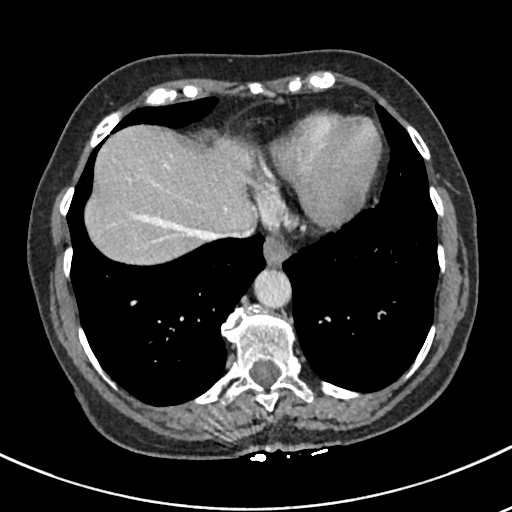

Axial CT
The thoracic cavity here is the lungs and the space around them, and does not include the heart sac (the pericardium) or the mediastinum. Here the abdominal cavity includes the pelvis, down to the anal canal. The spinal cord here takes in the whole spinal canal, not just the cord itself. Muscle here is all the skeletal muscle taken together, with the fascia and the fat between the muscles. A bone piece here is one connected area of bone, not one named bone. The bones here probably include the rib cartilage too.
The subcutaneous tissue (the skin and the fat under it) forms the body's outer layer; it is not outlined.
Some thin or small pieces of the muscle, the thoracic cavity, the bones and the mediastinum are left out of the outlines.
Outlines:
muscle 1: (92, 131) (88, 144) (92, 150) (75, 186) (65, 189) (58, 206) (67, 219) (70, 236) (62, 253) (62, 270) (71, 280) (75, 296) (78, 340) (91, 365) (113, 390) (119, 386) (136, 399) (160, 407) (215, 401) (225, 406) (252, 390) (252, 398) (271, 413) (281, 389) (291, 390) (307, 403) (313, 401) (315, 393) (300, 376) (300, 359) (319, 379) (323, 394) (343, 400) (385, 388) (403, 374) (404, 381) (409, 379) (432, 346) (437, 282) (446, 269) (445, 249) (437, 239) (443, 200) (429, 184) (424, 163) (431, 154) (437, 177) (451, 196) (468, 259) (468, 303) (445, 353) (429, 375) (389, 411) (351, 429) (269, 426) (228, 445) (212, 439) (170, 438) (140, 426) (113, 408) (83, 377) (59, 342) (50, 318) (50, 216)
muscle 2: (183, 78) (210, 78) (217, 80) (228, 80) (240, 82) (254, 81) (248, 82) (245, 86) (250, 95) (238, 95) (237, 94) (236, 95) (219, 95) (216, 94) (197, 98) (200, 88) (194, 84) (188, 83) (182, 86) (180, 89) (180, 92) (185, 97) (190, 99) (173, 102) (179, 95) (179, 92) (175, 88) (166, 88) (159, 86) (156, 87) (145, 97) (142, 106) (136, 107) (124, 116) (124, 112) (121, 109) (116, 109) (132, 100) (151, 86) (166, 81)
muscle 3: (315, 70) (330, 70) (336, 71) (353, 77) (371, 86) (385, 96) (413, 125) (405, 120) (403, 122) (403, 126) (385, 107) (365, 91) (357, 87) (349, 85) (333, 87) (337, 79) (335, 75) (331, 71) (328, 70) (324, 70) (311, 74) (306, 78) (307, 83) (312, 88) (322, 90) (296, 93) (302, 88) (304, 82) (301, 77) (297, 75) (291, 79) (286, 85) (289, 92) (278, 92) (273, 97) (260, 95) (264, 94) (265, 86) (260, 81) (257, 81) (270, 80) (289, 75) (305, 74)
torso: (320, 48) (369, 54) (407, 78) (438, 118) (467, 178) (477, 217) (480, 282) (473, 327) (452, 379) (409, 421) (349, 445) (295, 451) (261, 449) (235, 459) (188, 460) (146, 455) (112, 442) (86, 417) (50, 349) (26, 264) (33, 196) (70, 114) (102, 77) (142, 57)
mediastinum 1: (258, 222) (268, 233) (288, 238) (303, 239) (330, 232) (317, 241) (301, 247) (297, 253) (282, 263) (282, 269) (291, 285) (292, 325) (279, 315) (275, 316) (271, 313) (268, 315) (252, 314) (244, 305) (236, 306) (266, 263) (263, 255) (263, 235) (261, 233) (250, 235)
mediastinum 2: (342, 86) (357, 88) (375, 100) (375, 111) (381, 127) (370, 110) (358, 101) (347, 97) (312, 95) (253, 101) (239, 109) (228, 120) (224, 127) (213, 123) (207, 123) (178, 129) (205, 118) (218, 103) (216, 95) (259, 95) (273, 98) (278, 93) (299, 94)
mediastinum 3: (384, 133) (389, 148) (389, 158) (386, 166) (386, 173) (384, 177) (384, 181) (382, 185) (380, 197) (379, 200) (375, 205) (372, 207) (368, 207) (363, 209) (368, 203) (370, 197) (379, 184) (382, 177) (382, 173) (384, 170) (384, 158) (385, 157) (385, 139) (384, 138)
thoracic cavity 1: (376, 102) (405, 129) (423, 160) (429, 199) (436, 214) (438, 276) (432, 323) (407, 370) (385, 387) (360, 392) (320, 379) (306, 362) (293, 326) (292, 285) (283, 269) (283, 263) (297, 254) (301, 248) (336, 232) (360, 212) (372, 208) (380, 200) (390, 148) (376, 111)
thoracic cavity 2: (105, 138) (93, 163) (83, 223) (91, 243) (110, 260) (134, 266) (155, 266) (215, 240) (255, 234) (263, 237) (264, 266) (220, 325) (228, 352) (227, 369) (209, 388) (182, 403) (152, 405) (118, 385) (102, 367) (81, 324) (71, 279) (74, 252) (67, 215) (86, 162)
thoracic cavity 3: (209, 96) (215, 96) (217, 98) (217, 103) (213, 109) (202, 119) (183, 127) (170, 127) (167, 125) (159, 125) (150, 123) (137, 123) (133, 125) (128, 125) (113, 133) (111, 133) (116, 125) (127, 114) (136, 108) (143, 106) (163, 106) (176, 102) (195, 100)
bones 1: (241, 306) (252, 315) (279, 316) (293, 327) (297, 340) (295, 354) (302, 365) (299, 376) (314, 393) (311, 402) (289, 388) (281, 388) (271, 412) (253, 398) (256, 392) (252, 389) (225, 405) (219, 400) (185, 403) (209, 389) (229, 368) (233, 350) (221, 334) (221, 325), around a hole outlined by (259, 360) (263, 360) (264, 361) (267, 361) (269, 360) (271, 361) (276, 366) (277, 366) (277, 367) (279, 369) (279, 375) (276, 378) (275, 381) (268, 388) (268, 389) (266, 389) (262, 385) (256, 382) (250, 375) (250, 370) (251, 368) (253, 366) (254, 363)
bones 2: (116, 110) (121, 110) (123, 112) (123, 117) (115, 125) (115, 126) (111, 130) (111, 131) (95, 147) (93, 148) (90, 147) (90, 145) (89, 144) (90, 143) (90, 139) (93, 133) (93, 131) (95, 127) (97, 125) (97, 124) (102, 119) (102, 118) (103, 118) (106, 115)
bones 3: (79, 325) (81, 325) (83, 329) (83, 331) (85, 334) (85, 336) (87, 339) (87, 341) (101, 367) (107, 374) (107, 375) (117, 385) (117, 390) (113, 389) (102, 378) (102, 377) (97, 372) (95, 368) (90, 362) (87, 355) (84, 351) (84, 349) (78, 337) (78, 326)
bones 4: (433, 323) (435, 324) (435, 333) (433, 337) (433, 340) (431, 343) (431, 346) (426, 356) (424, 358) (421, 364) (412, 374) (412, 375) (406, 380) (404, 380) (403, 378) (404, 374) (408, 370) (414, 361) (418, 352) (420, 350) (427, 336) (427, 334) (430, 329) (430, 327)
bones 5: (159, 87) (162, 87) (163, 88) (165, 88) (166, 89) (175, 89) (178, 92) (178, 95) (176, 97) (176, 98) (171, 103) (168, 103) (167, 104) (164, 104) (163, 105) (144, 105) (144, 101) (145, 100) (146, 97) (150, 93) (151, 93) (156, 88) (158, 88)
bones 6: (320, 380) (323, 380) (338, 387) (341, 387) (342, 388) (345, 388) (346, 389) (349, 389) (350, 390) (353, 390) (359, 392) (361, 394) (360, 396) (353, 397) (348, 399) (338, 398) (337, 397) (334, 397) (331, 395) (325, 394) (322, 392) (320, 388) (320, 383) (319, 382)
bones 7: (405, 121) (411, 124) (418, 131) (418, 132) (422, 137) (423, 140) (425, 142) (429, 150) (429, 153) (430, 154) (430, 159) (429, 160) (424, 160) (421, 156) (420, 153) (418, 151) (417, 148) (415, 146) (414, 143) (412, 141) (408, 132) (404, 127) (404, 122)
bones 8: (324, 71) (328, 71) (329, 72) (331, 72) (334, 75) (336, 80) (333, 86) (332, 87) (330, 87) (329, 88) (326, 88) (325, 89) (321, 89) (320, 88) (314, 88) (312, 87) (308, 83) (307, 81) (307, 78) (311, 75) (313, 75) (314, 74) (318, 74)
bones 9: (429, 185) (433, 185) (437, 189) (437, 190) (438, 191) (438, 193) (442, 200) (442, 204) (443, 205) (443, 215) (441, 217) (438, 217) (437, 216) (437, 214) (435, 211) (435, 209) (434, 208) (434, 207) (432, 204) (432, 202) (430, 199) (430, 195) (429, 194)
bones 10: (71, 185) (74, 186) (74, 191) (73, 192) (72, 199) (71, 200) (71, 202) (69, 206) (69, 209) (67, 212) (67, 214) (66, 216) (63, 216) (61, 214) (60, 212) (60, 210) (59, 209) (60, 202) (62, 199) (62, 197) (66, 189) (69, 186)
bones 11: (70, 243) (71, 243) (71, 246) (72, 247) (72, 251) (73, 252) (72, 253) (72, 259) (71, 260) (71, 267) (70, 268) (70, 278) (69, 279) (68, 279) (66, 277) (66, 276) (64, 273) (64, 271) (63, 270) (63, 253) (64, 252) (64, 250) (65, 249) (65, 248)
bones 12: (188, 84) (191, 84) (192, 85) (194, 85) (199, 88) (199, 90) (198, 91) (198, 93) (197, 94) (197, 96) (195, 99) (191, 99) (190, 98) (189, 98) (188, 97) (185, 96) (181, 92) (181, 89) (183, 87) (183, 86) (184, 86) (185, 85) (187, 85)
bones 13: (297, 76) (298, 76) (299, 77) (300, 77) (300, 78) (303, 81) (303, 82) (302, 83) (302, 86) (301, 87) (301, 88) (298, 91) (297, 91) (295, 93) (292, 93) (289, 91) (289, 90) (287, 87) (287, 85) (288, 84) (288, 83) (291, 80) (292, 80)
abdominal cavity: (137, 124) (178, 130) (213, 124) (224, 128) (227, 134) (244, 140) (252, 159) (251, 169) (247, 172) (247, 191) (258, 221) (253, 231) (245, 237) (215, 239) (171, 261) (155, 265) (128, 264) (104, 255) (90, 240) (84, 223) (84, 207) (92, 191) (94, 163) (110, 133)
pericardium: (312, 96) (347, 98) (358, 102) (369, 110) (383, 133) (384, 157) (381, 177) (364, 207) (336, 231) (303, 238) (270, 233) (259, 223) (255, 205) (248, 191) (248, 172) (252, 169) (253, 163) (250, 147) (244, 139) (227, 133) (225, 127) (239, 110) (253, 102)
spinal cord: (259, 360) (263, 360) (264, 361) (267, 361) (269, 360) (271, 361) (276, 366) (277, 366) (277, 367) (279, 369) (279, 375) (276, 378) (275, 381) (268, 388) (268, 389) (266, 389) (262, 385) (256, 382) (250, 375) (250, 370) (251, 368) (253, 366) (254, 363)